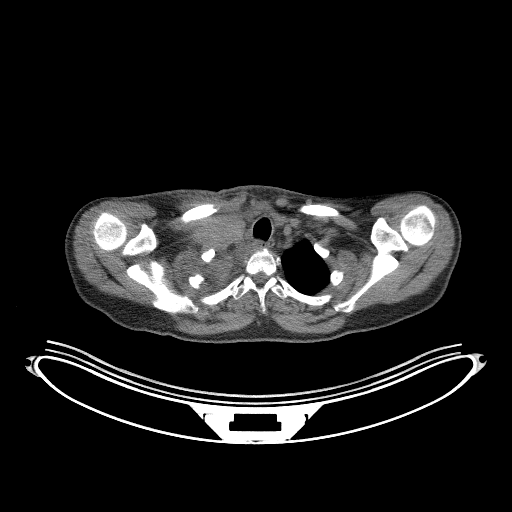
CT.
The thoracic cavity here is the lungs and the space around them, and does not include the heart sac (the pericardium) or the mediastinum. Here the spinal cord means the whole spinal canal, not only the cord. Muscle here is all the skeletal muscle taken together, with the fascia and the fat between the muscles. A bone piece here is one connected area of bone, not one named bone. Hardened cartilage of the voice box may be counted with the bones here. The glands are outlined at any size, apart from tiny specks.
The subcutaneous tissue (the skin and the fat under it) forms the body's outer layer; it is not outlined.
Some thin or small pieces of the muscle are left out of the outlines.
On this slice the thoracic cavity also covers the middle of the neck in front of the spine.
Outlined structures:
torso: [[246,184],[269,185],[320,196],[342,197],[402,191],[400,220],[405,241],[410,250],[429,269],[436,274],[451,277],[445,293],[431,308],[389,326],[310,343],[203,343],[135,331],[113,322],[91,306],[113,287],[126,264],[130,195],[181,187],[219,190]]
left arm: [[403,190],[424,190],[433,193],[443,198],[448,202],[454,210],[459,220],[459,223],[461,227],[462,242],[461,243],[461,248],[460,249],[459,257],[451,276],[439,274],[433,271],[411,250],[410,247],[408,245],[402,231],[401,200],[402,199],[402,192]]
thyroid glands: [[273,219],[278,219],[279,220],[280,220],[282,222],[283,222],[283,225],[282,225],[280,227],[279,227],[278,228],[276,226],[276,224],[275,223],[275,222],[274,221],[274,220]]
spinal cord: [[259,272],[262,272],[264,274],[265,274],[265,275],[267,277],[267,279],[265,281],[265,282],[262,285],[257,285],[255,283],[255,282],[254,281],[254,280],[253,279],[253,276],[255,274],[256,274],[257,273],[258,273]]
bones 1: [[418,204],[428,206],[435,213],[437,221],[431,239],[421,246],[410,245],[407,251],[394,251],[392,254],[398,266],[376,282],[352,311],[336,311],[333,306],[349,298],[370,275],[377,253],[370,240],[376,219],[384,216],[388,225],[397,230],[402,216]]
bones 2: [[264,247],[280,257],[281,274],[296,290],[307,295],[329,293],[331,299],[323,305],[312,306],[290,296],[281,298],[269,290],[264,297],[263,313],[258,295],[251,289],[238,299],[229,296],[213,305],[202,303],[202,296],[225,287],[242,270],[244,261]]; inner edge: [[259,272],[262,272],[264,274],[265,274],[265,275],[267,277],[267,279],[265,281],[265,282],[262,285],[257,285],[255,283],[255,282],[254,281],[254,280],[253,279],[253,276],[255,274],[256,274],[257,273],[258,273]]
bones 3: [[102,211],[109,211],[124,222],[128,232],[128,239],[134,237],[140,230],[140,224],[142,222],[145,222],[152,228],[156,236],[156,247],[147,254],[142,253],[132,256],[122,255],[121,247],[111,251],[100,249],[95,243],[91,231],[92,221]]
bones 4: [[151,260],[158,262],[164,267],[164,275],[172,288],[180,294],[187,295],[194,302],[198,307],[196,313],[170,313],[153,306],[151,301],[154,295],[145,286],[132,279],[126,272],[126,269],[130,265],[135,263],[139,263],[143,269],[148,271],[148,264]]
bones 5: [[202,203],[213,203],[214,205],[218,208],[218,210],[216,212],[206,217],[203,217],[202,218],[199,218],[198,219],[191,220],[186,223],[181,221],[179,219],[180,216],[184,212],[192,208],[194,206],[198,204],[201,204]]
bones 6: [[311,203],[319,203],[320,204],[324,204],[325,205],[328,205],[338,210],[341,214],[341,215],[340,216],[318,216],[317,215],[312,215],[311,214],[305,214],[302,212],[300,212],[298,210],[299,207],[303,204],[310,204]]
bones 7: [[333,270],[341,270],[342,271],[343,271],[343,272],[344,273],[344,276],[343,277],[343,279],[338,284],[337,284],[336,285],[331,285],[329,283],[329,276],[330,275],[330,272],[331,271],[332,271]]
bones 8: [[196,273],[198,273],[199,274],[200,274],[201,275],[202,275],[204,277],[204,280],[203,281],[203,282],[202,282],[200,284],[200,286],[199,287],[199,288],[194,288],[193,287],[192,287],[189,284],[189,283],[188,282],[188,277],[190,275],[193,275]]
bones 9: [[315,242],[318,242],[323,247],[324,247],[325,248],[327,248],[329,250],[329,254],[328,255],[328,256],[326,258],[326,259],[325,260],[324,260],[315,251],[315,250],[314,249],[314,248],[313,247],[313,244]]
bones 10: [[211,247],[212,247],[214,249],[214,250],[215,251],[215,255],[214,256],[214,257],[211,260],[211,261],[210,262],[205,262],[201,258],[201,253],[202,252],[203,252],[204,251],[205,251],[207,249],[208,249],[209,248],[210,248]]
right arm: [[126,195],[129,195],[129,225],[128,226],[127,256],[125,264],[120,275],[112,287],[100,299],[89,306],[82,301],[76,293],[72,283],[72,280],[70,277],[70,274],[68,271],[64,255],[65,233],[73,215],[80,207],[87,202],[104,196],[125,196]]
muscle: [[240,191],[262,198],[296,195],[360,208],[392,196],[425,195],[449,215],[455,237],[453,252],[447,266],[424,292],[397,303],[360,309],[328,333],[294,333],[263,316],[238,330],[208,335],[186,333],[161,311],[194,315],[199,307],[170,285],[161,263],[151,259],[148,270],[139,262],[125,269],[132,280],[153,295],[153,307],[100,292],[76,266],[74,228],[85,211],[107,200],[146,202],[160,208],[177,196],[229,196]]; inner edges: [[263,212],[329,250],[324,261],[329,271],[341,270],[344,276],[315,294],[331,294],[328,302],[312,306],[269,290],[263,313],[251,289],[238,299],[229,296],[213,305],[200,301],[225,287],[247,258],[227,278],[211,277],[210,268],[225,244],[225,225]], then [[418,204],[428,206],[435,213],[437,221],[431,239],[421,246],[410,245],[407,251],[394,251],[392,254],[398,266],[376,282],[352,311],[336,311],[333,306],[349,298],[370,275],[377,253],[370,240],[376,219],[384,216],[388,225],[397,230],[402,216]], then [[102,211],[109,211],[124,222],[128,232],[128,239],[134,237],[140,230],[140,224],[142,222],[145,222],[152,228],[156,236],[156,247],[147,254],[142,253],[132,256],[122,255],[121,247],[111,251],[100,249],[95,243],[91,231],[92,221]], then [[202,203],[213,203],[214,205],[218,208],[218,210],[216,212],[206,217],[203,217],[202,218],[199,218],[198,219],[191,220],[186,223],[181,221],[179,219],[180,216],[184,212],[192,208],[194,206],[198,204],[201,204]], then [[311,203],[319,203],[320,204],[324,204],[325,205],[328,205],[338,210],[341,214],[341,215],[340,216],[318,216],[317,215],[312,215],[311,214],[305,214],[302,212],[300,212],[298,210],[299,207],[303,204],[310,204]], then [[196,273],[198,273],[199,274],[200,274],[201,275],[202,275],[204,277],[204,280],[203,281],[203,282],[202,282],[200,284],[200,286],[199,287],[199,288],[194,288],[193,287],[192,287],[189,284],[189,283],[188,282],[188,277],[190,275],[193,275]], then [[211,247],[212,247],[214,249],[214,250],[215,251],[215,255],[214,256],[214,257],[211,260],[211,261],[210,262],[205,262],[201,258],[201,253],[202,252],[203,252],[204,251],[205,251],[207,249],[208,249],[209,248],[210,248]]
thoracic cavity: [[263,212],[274,218],[272,219],[278,229],[284,224],[295,229],[300,237],[309,241],[324,261],[329,270],[328,283],[317,293],[307,294],[296,289],[282,274],[281,257],[265,246],[244,257],[227,278],[216,280],[211,277],[210,268],[225,244],[225,225]]